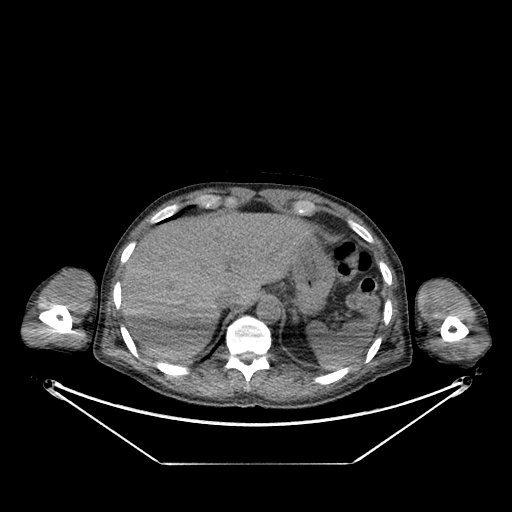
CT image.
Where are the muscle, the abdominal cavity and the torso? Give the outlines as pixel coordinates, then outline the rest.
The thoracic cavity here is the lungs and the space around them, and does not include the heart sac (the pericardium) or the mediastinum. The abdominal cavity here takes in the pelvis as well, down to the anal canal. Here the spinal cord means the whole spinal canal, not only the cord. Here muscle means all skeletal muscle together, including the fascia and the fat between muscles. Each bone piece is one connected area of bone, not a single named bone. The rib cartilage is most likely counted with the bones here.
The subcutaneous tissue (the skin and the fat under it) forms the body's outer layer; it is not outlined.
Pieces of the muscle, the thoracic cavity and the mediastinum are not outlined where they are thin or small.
Outlines:
muscle 1: [[228,187],[243,187],[255,191],[259,191],[262,189],[272,188],[273,189],[300,190],[301,191],[311,192],[329,199],[331,201],[347,208],[361,218],[382,242],[384,246],[384,250],[386,253],[386,255],[390,261],[392,267],[394,269],[398,281],[400,330],[403,341],[402,343],[403,345],[403,353],[402,355],[398,359],[390,361],[386,364],[384,364],[376,368],[374,370],[369,371],[354,381],[350,382],[338,389],[331,391],[327,394],[322,394],[319,396],[309,397],[306,399],[298,399],[290,401],[272,401],[264,398],[261,395],[249,392],[241,393],[235,396],[226,397],[224,399],[213,399],[205,396],[193,396],[191,394],[178,392],[173,390],[171,388],[165,387],[159,382],[152,379],[149,376],[142,373],[140,371],[125,366],[114,361],[110,357],[105,356],[101,351],[100,343],[101,342],[101,337],[105,321],[105,309],[106,308],[107,294],[110,288],[110,281],[113,274],[113,269],[112,268],[115,261],[116,255],[119,249],[126,242],[131,231],[147,215],[161,204],[170,199],[203,188],[227,188]] with a hole at [[202,194],[233,197],[238,206],[258,198],[288,210],[294,202],[307,200],[317,211],[363,226],[373,238],[367,245],[376,261],[383,261],[391,273],[391,284],[383,283],[383,296],[390,299],[392,313],[388,324],[380,326],[377,336],[382,339],[375,355],[367,363],[364,356],[350,364],[340,379],[321,384],[313,382],[321,373],[296,365],[272,344],[267,352],[270,368],[252,374],[248,391],[238,369],[223,368],[229,355],[224,343],[207,359],[188,365],[188,374],[179,376],[159,370],[153,365],[156,361],[139,349],[139,357],[135,357],[122,337],[120,325],[124,320],[113,301],[114,285],[124,269],[121,254],[150,227],[149,219],[158,211],[174,203],[184,208],[192,205]]
muscle 2: [[69,268],[75,268],[86,273],[91,278],[95,286],[94,306],[87,330],[88,339],[85,344],[79,348],[62,347],[53,344],[35,346],[28,343],[23,335],[23,327],[27,319],[28,312],[33,305],[33,302],[38,297],[41,290],[56,275],[63,270]], around a hole outlined by [[60,304],[67,305],[67,307],[70,312],[70,314],[72,318],[72,329],[73,330],[73,332],[72,333],[60,333],[56,331],[49,325],[44,323],[41,320],[40,320],[39,318],[39,314],[43,310],[45,309],[49,309],[51,307],[55,307]]
muscle 3: [[435,279],[443,279],[449,281],[458,288],[470,301],[471,305],[476,311],[479,324],[485,329],[488,336],[489,343],[480,354],[471,359],[468,360],[449,360],[426,347],[424,333],[421,325],[420,312],[417,304],[418,303],[418,296],[421,288],[427,282]]; inner edge: [[448,314],[450,316],[453,316],[455,318],[458,318],[459,317],[467,327],[469,331],[469,332],[464,337],[457,341],[454,341],[453,342],[445,341],[443,340],[440,334],[440,327],[441,326],[441,324],[445,317]]
abdominal cavity: [[254,198],[311,217],[329,230],[351,231],[367,242],[385,300],[379,332],[357,361],[320,373],[288,360],[280,348],[284,308],[270,293],[237,313],[212,351],[191,365],[155,360],[138,349],[122,318],[120,281],[142,234],[159,222],[220,206],[241,206]]
torso: [[207,181],[312,186],[338,196],[366,213],[386,236],[403,266],[413,349],[410,366],[380,377],[331,402],[305,408],[276,409],[259,406],[214,407],[183,402],[161,395],[101,364],[93,355],[92,344],[102,274],[115,244],[134,218],[156,198],[171,190]]
right arm: [[68,264],[79,265],[88,270],[93,275],[97,284],[99,286],[98,311],[91,347],[89,347],[83,352],[73,354],[67,354],[44,349],[41,350],[32,349],[26,346],[23,343],[19,333],[20,324],[24,313],[25,304],[32,291],[40,282],[56,270]]
spinal cord: [[245,352],[252,352],[254,354],[255,354],[256,355],[256,357],[253,358],[252,359],[252,360],[249,363],[246,363],[245,362],[242,361],[240,359],[240,358],[239,357],[239,355],[240,354],[241,354],[242,353],[244,353]]
bones 1: [[242,315],[250,315],[264,322],[270,330],[272,339],[272,344],[267,352],[270,368],[259,369],[252,374],[249,380],[250,389],[248,391],[244,389],[246,385],[244,375],[238,369],[229,368],[225,370],[223,368],[229,355],[225,344],[226,329],[230,323]], around a hole outlined by [[245,352],[252,352],[254,354],[255,354],[256,355],[256,357],[253,358],[252,359],[252,360],[249,363],[246,363],[245,362],[242,361],[240,359],[240,358],[239,357],[239,355],[240,354],[241,354],[242,353],[244,353]]
bones 2: [[60,304],[67,305],[67,307],[70,312],[70,314],[72,318],[72,329],[73,330],[73,332],[72,333],[60,333],[56,331],[49,325],[44,323],[41,320],[40,320],[39,318],[39,314],[43,310],[45,309],[49,309],[51,307],[55,307]]
bones 3: [[448,314],[450,316],[453,316],[455,318],[458,318],[459,317],[467,327],[469,331],[469,332],[464,337],[457,341],[454,341],[453,342],[445,341],[443,340],[440,334],[440,327],[441,326],[441,324],[445,317]]
bones 4: [[202,194],[215,194],[216,195],[219,195],[223,199],[227,197],[233,197],[237,200],[237,205],[233,207],[229,207],[228,206],[226,206],[222,204],[214,208],[204,208],[203,207],[200,207],[195,204],[193,204],[193,200],[197,196],[199,195],[201,195]]
bones 5: [[156,361],[159,361],[160,362],[166,362],[170,364],[175,364],[176,365],[182,365],[183,366],[187,366],[189,368],[189,373],[188,374],[180,375],[179,376],[172,376],[171,375],[166,374],[159,370],[153,365],[153,363]]
bones 6: [[346,366],[349,366],[350,367],[349,371],[344,376],[336,381],[334,381],[327,384],[321,384],[320,383],[316,383],[315,382],[313,382],[313,378],[315,376],[321,375],[322,374],[326,374],[330,372],[333,372],[336,370],[338,370],[340,368],[343,368]]
bones 7: [[174,203],[178,203],[179,204],[181,204],[183,207],[181,209],[180,209],[171,216],[167,218],[165,218],[158,222],[156,222],[152,224],[151,224],[149,222],[149,219],[154,214],[155,214],[164,207],[168,205],[171,205]]
bones 8: [[299,200],[307,200],[308,201],[310,201],[311,202],[312,202],[315,205],[315,206],[316,207],[316,210],[313,213],[312,213],[311,214],[300,214],[299,213],[296,213],[292,209],[292,204],[294,202],[295,202],[296,201],[298,201]]
bones 9: [[347,219],[351,219],[355,222],[358,223],[360,225],[363,226],[370,233],[370,234],[372,236],[372,237],[373,238],[373,242],[372,243],[370,243],[369,242],[366,241],[357,233],[356,233],[352,229],[351,229],[348,226],[348,225],[346,222],[346,220]]
bones 10: [[121,324],[123,324],[125,326],[129,334],[131,336],[131,338],[133,340],[137,348],[137,351],[139,355],[139,357],[138,358],[135,357],[133,355],[133,354],[128,349],[126,344],[124,342],[124,340],[122,337],[121,331],[120,330],[120,325]]
bones 11: [[379,336],[381,336],[382,339],[381,340],[381,343],[379,346],[379,348],[377,352],[375,354],[375,355],[367,363],[365,363],[364,362],[364,360],[365,359],[365,356],[368,351],[368,349],[370,347],[370,346],[372,344],[374,340],[377,337]]
bones 12: [[380,260],[381,260],[382,261],[383,261],[388,266],[388,267],[390,270],[390,272],[391,273],[391,284],[390,285],[388,285],[387,284],[386,284],[384,282],[384,280],[382,277],[382,274],[380,271],[380,269],[379,268],[379,266],[378,265],[378,262]]
bones 13: [[117,281],[119,281],[120,282],[120,287],[121,288],[121,303],[120,304],[120,309],[117,309],[116,308],[116,307],[115,306],[115,304],[114,303],[114,302],[113,301],[113,288],[114,287],[114,285],[115,284],[115,283]]
bones 14: [[388,298],[390,299],[391,301],[391,304],[392,305],[392,313],[391,314],[391,317],[389,320],[389,322],[388,324],[387,325],[385,325],[385,324],[383,322],[383,311],[384,310],[384,304],[385,303],[385,301],[386,299]]
bones 15: [[131,241],[135,241],[136,242],[136,243],[135,244],[135,246],[134,247],[134,248],[133,249],[131,254],[129,256],[129,257],[127,259],[127,260],[125,262],[125,263],[124,264],[122,264],[120,261],[120,258],[121,257],[121,254],[122,253],[124,248]]
thoracic cavity 1: [[223,336],[224,336],[224,343],[220,345],[217,348],[217,349],[214,352],[214,353],[210,357],[209,357],[207,359],[195,365],[192,365],[192,364],[194,364],[198,362],[201,359],[208,356],[213,351],[217,343]]
thoracic cavity 2: [[183,208],[184,208],[185,209],[184,209],[183,210],[182,213],[177,217],[175,217],[174,218],[172,218],[171,219],[168,219],[165,221],[161,221],[171,217],[173,215],[174,215],[176,213],[177,213],[180,210],[181,210]]
mediastinum 1: [[264,294],[270,294],[272,296],[275,296],[279,300],[281,306],[283,308],[283,315],[281,318],[280,333],[279,334],[279,348],[280,351],[273,344],[271,330],[264,321],[250,314],[242,314],[234,319],[237,314],[244,310],[247,306],[249,306],[256,298]]
mediastinum 2: [[316,211],[323,211],[324,212],[329,213],[341,219],[344,222],[345,222],[347,226],[351,230],[353,231],[351,230],[333,230],[332,229],[329,229],[323,223],[320,222],[317,219],[311,216],[306,215],[311,215],[313,214]]
mediastinum 3: [[193,205],[195,205],[200,208],[203,208],[204,209],[206,209],[206,210],[204,211],[201,211],[200,212],[194,212],[193,213],[190,213],[189,214],[186,214],[185,215],[181,215],[183,213],[184,210],[186,209],[185,207],[186,208],[191,208]]
left arm: [[436,275],[447,276],[459,282],[478,300],[487,314],[490,333],[493,341],[492,346],[487,353],[473,367],[468,369],[452,369],[446,365],[439,363],[433,358],[429,357],[425,352],[422,351],[418,347],[415,341],[414,296],[418,286],[424,280]]